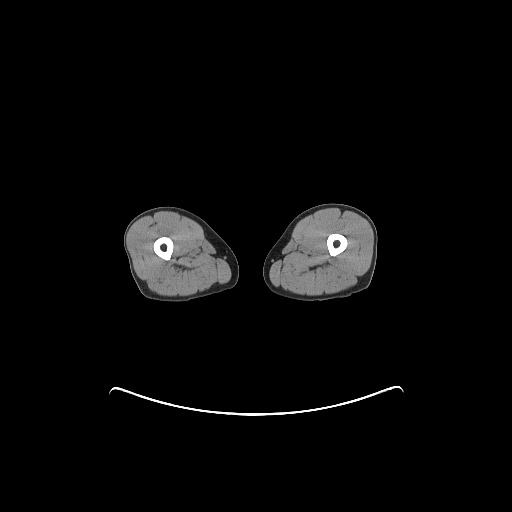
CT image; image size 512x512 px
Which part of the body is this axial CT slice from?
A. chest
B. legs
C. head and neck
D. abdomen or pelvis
Answer: B. legs
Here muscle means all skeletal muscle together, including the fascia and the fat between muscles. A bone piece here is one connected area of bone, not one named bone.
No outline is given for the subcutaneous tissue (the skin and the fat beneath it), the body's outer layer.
The right leg is outlined by [[157,206],[176,206],[196,214],[207,222],[227,243],[236,256],[239,266],[238,281],[233,288],[222,291],[219,293],[197,299],[193,299],[185,302],[156,301],[148,299],[142,295],[130,272],[128,259],[123,246],[123,234],[127,224],[133,217],[147,209]]. The bones appear in 2 outlined pieces: piece 1: [[335,232],[337,233],[340,233],[344,235],[346,237],[347,239],[347,246],[346,248],[343,251],[342,251],[335,256],[332,256],[330,255],[328,251],[328,249],[327,248],[327,245],[326,244],[326,240],[327,239],[327,237],[328,235],[330,233],[334,233]]; piece 2: [[161,236],[167,236],[171,238],[173,242],[173,251],[172,252],[172,254],[171,255],[171,257],[170,259],[168,260],[165,260],[161,258],[159,256],[158,256],[154,252],[154,250],[153,249],[153,242],[157,238]]. The muscle appears in 2 outlined pieces: piece 1: [[331,207],[342,208],[355,212],[366,219],[369,223],[373,232],[373,250],[371,263],[368,270],[355,285],[348,289],[327,296],[304,297],[285,293],[277,288],[269,279],[269,270],[273,260],[279,251],[287,243],[288,234],[290,230],[299,220],[317,210]] with a hole at [[335,232],[337,233],[340,233],[344,235],[346,237],[347,239],[347,246],[346,248],[343,251],[342,251],[335,256],[332,256],[330,255],[328,251],[328,249],[327,248],[327,245],[326,244],[326,240],[327,239],[327,237],[328,235],[330,233],[334,233]]; piece 2: [[157,211],[179,212],[181,215],[186,216],[199,223],[203,227],[207,239],[216,250],[223,257],[225,257],[225,259],[229,264],[231,270],[230,279],[220,287],[184,296],[166,296],[151,291],[140,280],[135,272],[126,240],[129,229],[138,219],[151,212]], around a hole outlined by [[161,236],[167,236],[171,238],[173,242],[173,251],[172,252],[172,254],[171,255],[171,257],[170,259],[168,260],[165,260],[161,258],[159,256],[158,256],[154,252],[154,250],[153,249],[153,242],[157,238]]. The left leg is outlined by [[323,203],[342,203],[351,205],[365,212],[374,222],[377,230],[377,259],[373,276],[368,287],[358,293],[355,293],[345,298],[324,301],[300,301],[286,298],[275,294],[267,287],[262,273],[263,263],[268,251],[282,234],[289,222],[296,215],[312,206]].